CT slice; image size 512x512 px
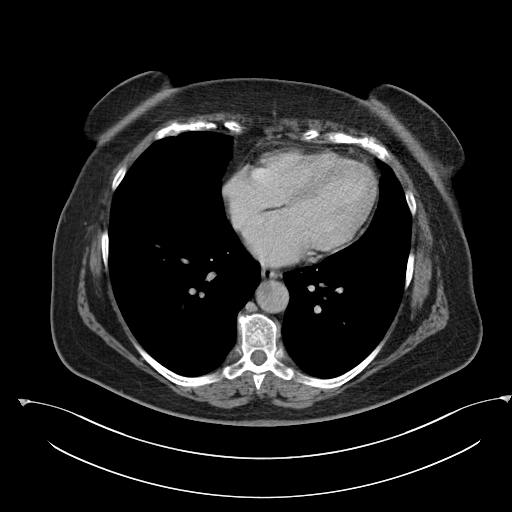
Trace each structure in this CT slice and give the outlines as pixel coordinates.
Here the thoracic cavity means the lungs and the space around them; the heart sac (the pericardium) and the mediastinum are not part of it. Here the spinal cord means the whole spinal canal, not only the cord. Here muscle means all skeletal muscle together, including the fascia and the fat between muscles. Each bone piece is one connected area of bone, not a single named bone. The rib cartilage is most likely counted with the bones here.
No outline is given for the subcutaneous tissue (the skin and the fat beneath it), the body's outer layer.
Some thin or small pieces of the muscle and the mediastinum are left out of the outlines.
muscle 1: (220, 111) (237, 112) (246, 114) (248, 116) (256, 116) (264, 118) (275, 118) (276, 119) (283, 119) (284, 118) (316, 118) (317, 119) (335, 121) (369, 132) (372, 135) (378, 138) (389, 148) (404, 166) (420, 195) (420, 198) (422, 202) (422, 207) (424, 210) (428, 225) (430, 228) (430, 231) (433, 238) (433, 243) (440, 266) (440, 270) (444, 283) (445, 293) (449, 309) (449, 318) (445, 327) (428, 336) (415, 347) (399, 358) (388, 365) (379, 369) (365, 379) (358, 382) (355, 385) (348, 387) (341, 393) (335, 396) (316, 401) (311, 405) (304, 408) (291, 408) (290, 407) (279, 406) (275, 405) (267, 400) (260, 398) (252, 399) (245, 404) (232, 408) (223, 408) (212, 405) (204, 401) (197, 401) (179, 395) (164, 383) (137, 367) (133, 363) (109, 346) (101, 337) (88, 328) (83, 322) (78, 312) (78, 308) (77, 307) (77, 293) (78, 291) (77, 289) (80, 277) (82, 259) (88, 241) (90, 230) (97, 208) (100, 202) (100, 199) (102, 197) (102, 194) (105, 189) (106, 184) (113, 168) (122, 159) (124, 155) (142, 138) (164, 121) (177, 117) (189, 117) (196, 114) (212, 113) with a hole at (198, 120) (217, 125) (208, 131) (230, 135) (237, 134) (224, 127) (223, 123) (233, 120) (243, 127) (242, 134) (257, 130) (299, 139) (306, 130) (316, 129) (320, 134) (311, 142) (325, 141) (329, 132) (374, 137) (390, 154) (387, 164) (403, 191) (409, 189) (412, 192) (416, 211) (411, 217) (409, 250) (414, 254) (411, 281) (403, 290) (397, 311) (382, 338) (385, 342) (381, 349) (358, 374) (343, 384) (319, 388) (294, 378) (285, 380) (267, 370) (257, 390) (254, 373) (245, 370) (232, 379) (223, 377) (209, 384) (184, 386) (159, 373) (134, 347) (133, 341) (138, 341) (120, 311) (109, 271) (102, 259) (101, 234) (109, 228) (114, 193) (111, 184) (119, 168) (125, 165) (128, 169) (154, 141) (159, 129) (172, 122)
muscle 2: (232, 350) (233, 350) (233, 351) (234, 352) (235, 352) (238, 355) (239, 355) (239, 356) (238, 357) (238, 358) (237, 359) (236, 359) (234, 361) (233, 361) (230, 363) (228, 363) (227, 364) (225, 364) (226, 363) (226, 361) (228, 358) (228, 356) (229, 355) (229, 353)
muscle 3: (287, 355) (288, 356) (288, 357) (291, 360) (291, 361) (292, 362) (292, 363) (294, 365) (294, 366) (298, 370) (299, 370) (297, 370) (296, 371) (296, 372) (296, 370) (292, 366) (286, 364) (282, 360) (283, 359) (284, 359) (286, 357) (286, 356)
pericardium: (267, 141) (278, 141) (312, 146) (350, 147) (360, 150) (372, 157) (379, 174) (378, 200) (369, 223) (355, 241) (324, 257) (314, 264) (305, 265) (299, 268) (266, 267) (261, 266) (253, 259) (241, 243) (226, 216) (222, 196) (222, 188) (225, 182) (236, 170) (252, 148)
thoracic cavity 1: (187, 131) (211, 131) (231, 138) (231, 153) (221, 180) (224, 212) (240, 243) (260, 266) (259, 281) (237, 313) (237, 340) (228, 353) (225, 363) (213, 371) (195, 376) (182, 375) (171, 370) (142, 347) (120, 311) (108, 270) (108, 229) (114, 192) (127, 170) (154, 141)
thoracic cavity 2: (377, 160) (387, 164) (393, 171) (404, 192) (411, 215) (410, 247) (404, 272) (402, 298) (382, 339) (357, 364) (333, 377) (322, 378) (309, 375) (295, 366) (280, 340) (280, 326) (290, 299) (284, 273) (320, 262) (355, 242) (367, 229) (380, 195) (379, 180) (382, 171)
bones 1: (238, 313) (273, 320) (280, 327) (277, 343) (286, 353) (281, 360) (296, 373) (322, 379) (345, 373) (385, 342) (358, 374) (337, 387) (285, 380) (270, 370) (259, 390) (250, 370) (184, 386) (154, 369) (133, 341) (179, 375) (220, 373) (240, 356) (233, 349) (239, 344), around a hole outlined by (256, 350) (261, 350) (262, 351) (263, 351) (264, 352) (264, 353) (265, 354) (265, 356) (266, 357) (266, 358) (265, 359) (265, 360) (262, 363) (261, 363) (260, 364) (256, 364) (251, 359) (251, 355) (252, 354) (252, 353) (254, 351) (255, 351)
bones 2: (329, 132) (343, 132) (357, 137) (370, 137) (371, 136) (374, 137) (378, 143) (383, 145) (386, 148) (390, 154) (390, 158) (387, 163) (386, 163) (379, 159) (367, 149) (362, 147) (358, 144) (355, 143) (332, 143) (331, 142) (324, 141) (326, 140) (326, 134)
bones 3: (198, 120) (215, 123) (217, 125) (217, 127) (214, 129) (208, 129) (207, 130) (187, 130) (186, 131) (183, 131) (176, 135) (165, 136) (160, 139) (154, 140) (154, 135) (155, 133) (159, 129) (165, 127) (172, 122) (188, 123) (189, 122) (194, 122)
bones 4: (410, 251) (412, 251) (412, 252) (414, 254) (414, 268) (413, 269) (413, 273) (412, 274) (412, 278) (411, 279) (411, 281) (408, 287) (406, 289) (405, 289) (404, 288) (404, 286) (405, 285) (405, 272) (406, 271) (407, 260) (408, 259) (408, 256) (409, 255) (409, 253)
bones 5: (105, 229) (107, 229) (107, 232) (108, 233) (108, 256) (107, 257) (107, 268) (106, 268) (104, 266) (104, 264) (103, 263) (103, 260) (102, 259) (102, 252) (101, 251) (101, 234) (102, 233) (102, 232)
bones 6: (123, 165) (125, 165) (126, 166) (126, 168) (127, 169) (126, 170) (126, 172) (122, 180) (120, 182) (120, 183) (117, 186) (115, 190) (113, 191) (111, 187) (111, 184) (112, 183) (113, 178) (115, 174) (119, 169) (119, 168)
bones 7: (407, 189) (409, 189) (412, 192) (414, 196) (414, 198) (415, 199) (415, 203) (416, 204) (416, 211) (415, 212) (415, 214) (413, 216) (412, 216) (411, 214) (411, 212) (408, 207) (408, 205) (407, 204) (407, 202) (405, 198) (405, 190)
bones 8: (226, 120) (233, 120) (234, 121) (236, 121) (237, 122) (238, 122) (243, 127) (243, 129) (242, 130) (242, 132) (239, 134) (237, 134) (236, 133) (234, 133) (233, 132) (232, 132) (227, 128) (224, 127) (223, 126) (223, 123) (224, 122) (224, 121) (225, 121)
bones 9: (308, 129) (316, 129) (320, 133) (320, 134) (319, 135) (319, 136) (318, 136) (317, 137) (316, 137) (315, 138) (313, 138) (310, 141) (304, 141) (303, 140) (301, 140) (300, 139) (300, 137) (301, 136) (301, 134) (303, 132) (304, 132) (306, 130) (307, 130)
mediastinum 1: (261, 267) (273, 268) (274, 269) (288, 269) (289, 268) (293, 269) (285, 271) (283, 273) (283, 281) (287, 288) (289, 294) (289, 299) (287, 306) (284, 311) (280, 325) (269, 316) (261, 312) (253, 312) (252, 313) (239, 312) (250, 299) (260, 281) (261, 278)
mediastinum 2: (255, 130) (271, 135) (288, 136) (304, 142) (326, 142) (332, 144) (357, 146) (369, 152) (378, 159) (376, 160) (376, 163) (375, 160) (370, 154) (360, 149) (350, 146) (312, 145) (267, 140) (258, 143) (251, 148) (224, 182) (222, 187) (222, 180) (231, 157) (233, 142) (230, 136) (219, 133) (239, 135)
spinal cord: (256, 350) (261, 350) (262, 351) (263, 351) (264, 352) (264, 353) (265, 354) (265, 356) (266, 357) (266, 358) (265, 359) (265, 360) (262, 363) (261, 363) (260, 364) (256, 364) (251, 359) (251, 355) (252, 354) (252, 353) (254, 351) (255, 351)
torso: (149, 70) (169, 73) (175, 85) (269, 77) (327, 85) (362, 98) (372, 86) (388, 83) (433, 108) (465, 155) (453, 185) (465, 219) (483, 327) (473, 359) (375, 408) (277, 426) (178, 417) (69, 370) (51, 336) (51, 259) (60, 212) (94, 146) (82, 126) (110, 89)